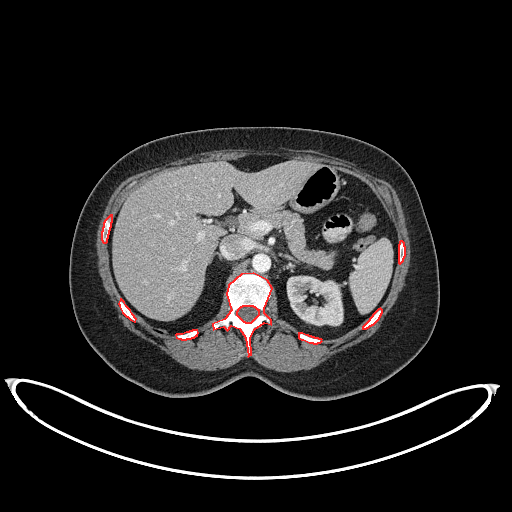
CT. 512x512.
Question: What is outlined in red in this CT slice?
Answer: red: bones.
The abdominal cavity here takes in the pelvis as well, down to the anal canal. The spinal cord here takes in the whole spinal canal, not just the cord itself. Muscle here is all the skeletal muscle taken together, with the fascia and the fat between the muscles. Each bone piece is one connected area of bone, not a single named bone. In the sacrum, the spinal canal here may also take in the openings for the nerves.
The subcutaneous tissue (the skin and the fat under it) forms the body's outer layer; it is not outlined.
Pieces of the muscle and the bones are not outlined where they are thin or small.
bones 1: 248,356 251,354 250,338 254,329 264,322 271,324 271,320 264,313 264,308 272,288 267,280 253,273 241,274 228,285 226,294 231,310 224,319 212,324 213,329 223,326 227,330 231,325 239,328 245,337, around a hole outlined by 245,322 251,322 259,314 259,310 258,310 255,307 254,307 253,306 242,306 241,307 240,307 237,310 237,311 236,312 236,314 243,321 244,321
bones 2: 103,242 106,242 107,241 107,238 108,237 108,234 109,233 109,230 110,229 110,227 111,226 111,222 112,221 112,215 110,215 104,221 104,222 103,223 103,227 102,228 102,231 101,232 101,239
bones 3: 134,321 135,321 136,319 134,317 134,316 132,314 130,310 126,306 124,302 121,299 120,299 118,303 119,304 119,306 122,312 126,316 127,316 130,319
bones 4: 362,328 366,328 367,327 368,327 370,325 371,325 372,324 373,324 379,318 379,317 380,316 380,315 381,314 381,313 382,312 382,310 380,308 379,309 378,309 372,315 372,316 369,319 369,320 362,327
bones 5: 399,263 400,263 403,260 403,258 404,257 404,256 405,255 405,247 404,246 404,243 402,241 400,241 399,242 399,244 398,245 398,262
bones 6: 313,343 317,343 318,342 320,342 322,340 321,339 319,339 318,338 315,338 314,337 312,337 311,336 309,336 308,335 306,335 302,333 298,333 298,337 299,338 301,339 303,339 309,342 312,342
bones 7: 181,339 186,339 187,338 191,338 192,337 194,337 196,335 197,335 198,332 197,330 192,330 191,331 189,331 188,332 186,332 182,334 176,334 175,335 176,337 178,338 180,338
abdominal cavity: 322,339 342,335 369,318 384,301 393,279 395,228 365,183 328,163 250,155 175,166 124,200 108,238 110,269 122,299 140,319 168,333 196,329 215,317 227,285 237,275 253,272 275,290 279,317 300,332
muscle: 278,372 297,372 301,370 311,369 325,361 332,355 338,352 343,351 347,348 357,344 364,339 368,338 380,327 382,321 384,319 384,317 395,303 398,297 399,292 405,284 405,277 408,271 409,261 410,260 410,240 408,235 408,230 406,226 406,221 402,205 400,199 392,185 387,181 378,178 358,168 353,163 344,159 331,156 319,151 304,150 303,149 292,149 291,148 281,148 279,150 275,151 253,150 252,149 231,149 230,148 229,149 221,149 220,150 200,152 192,154 187,157 179,158 172,161 165,162 160,166 136,173 122,181 116,187 110,196 98,225 97,237 96,238 96,253 98,258 98,271 101,277 103,286 106,292 109,295 110,299 117,312 117,315 122,321 122,323 124,326 142,339 156,346 169,355 173,359 190,369 199,370 200,371 215,371 218,369 224,369 232,366 243,358 252,358 260,365; inner edge: 248,356 254,329 271,324 264,308 273,288 278,316 300,332 299,338 313,343 342,335 368,318 362,327 366,328 382,312 396,264 405,255 404,243 397,242 393,223 370,188 331,164 256,155 189,162 134,189 103,223 101,239 108,242 110,269 122,298 118,303 126,316 135,321 135,314 155,329 191,338 215,317 226,294 231,310 212,328 239,328
torso: 317,401 349,396 385,381 419,353 435,327 439,312 437,255 418,192 401,164 377,146 354,137 282,126 181,132 146,142 119,158 87,197 70,250 72,307 90,346 122,377 163,396 201,396 253,376 288,395
spinal cord: 245,322 251,322 259,314 259,310 258,310 255,307 254,307 253,306 242,306 241,307 240,307 237,310 237,311 236,312 236,314 243,321 244,321